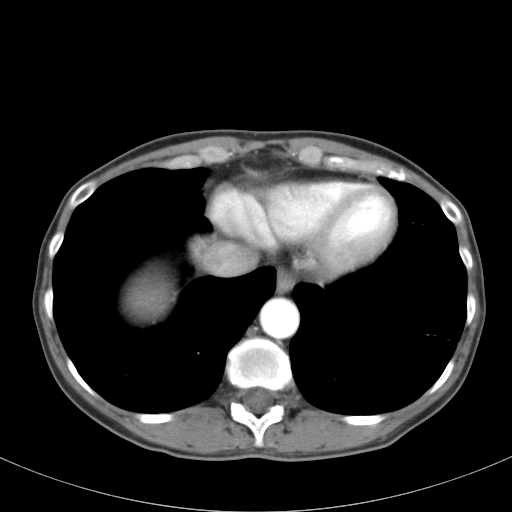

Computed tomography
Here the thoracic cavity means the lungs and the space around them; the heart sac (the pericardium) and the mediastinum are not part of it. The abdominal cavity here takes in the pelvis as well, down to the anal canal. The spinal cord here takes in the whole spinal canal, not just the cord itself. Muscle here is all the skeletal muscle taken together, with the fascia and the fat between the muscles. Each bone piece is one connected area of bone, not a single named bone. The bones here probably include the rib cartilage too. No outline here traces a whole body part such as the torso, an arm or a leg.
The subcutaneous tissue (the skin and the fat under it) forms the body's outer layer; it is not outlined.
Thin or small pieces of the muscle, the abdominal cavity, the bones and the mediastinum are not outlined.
{"thoracic_cavity":[[[199,166],[212,230],[188,235],[174,259],[154,255],[134,267],[119,286],[117,313],[132,328],[165,322],[184,288],[183,262],[185,285],[271,267],[274,290],[206,399],[171,412],[128,410],[86,382],[62,343],[54,258],[75,208],[102,184],[143,167]],[[380,176],[419,188],[438,203],[453,224],[458,253],[466,270],[465,321],[443,370],[416,399],[383,413],[336,413],[310,403],[296,386],[289,348],[300,326],[301,314],[294,288],[305,283],[324,290],[327,285],[371,265],[389,247],[398,232],[399,210]]],"mediastinum":[[[213,228],[222,237],[241,242],[270,262],[281,264],[298,280],[319,285],[300,282],[293,288],[300,321],[289,343],[288,353],[267,337],[253,336],[240,340],[273,294],[276,272],[271,266],[257,267],[237,276],[217,276],[209,272],[201,262],[212,240]],[[244,156],[245,159],[247,160],[247,164],[220,177],[211,185],[206,196],[205,207],[205,200],[201,190],[201,187],[205,181],[208,172],[203,166],[200,166],[201,165],[209,165],[216,163],[219,164],[226,162],[229,160],[233,160]]],"spinal_cord":[[[254,387],[262,387],[268,390],[274,391],[276,393],[276,398],[273,404],[269,406],[267,410],[265,412],[261,414],[256,414],[252,412],[250,410],[249,410],[245,406],[241,398],[241,395],[240,394],[242,390],[244,389],[248,389],[249,388],[253,388]]],"pericardium":[[[275,166],[300,166],[352,172],[375,178],[393,196],[397,206],[398,228],[393,240],[371,264],[331,283],[320,285],[313,281],[300,280],[281,263],[270,261],[263,254],[241,241],[222,236],[205,215],[207,196],[212,185],[220,178],[241,168],[263,169]]],"muscle":[[[462,213],[476,263],[480,307],[466,361],[457,379],[438,399],[383,439],[307,453],[262,448],[197,453],[172,448],[132,433],[86,401],[64,378],[48,347],[38,297],[49,241],[52,285],[43,294],[44,311],[55,323],[69,372],[90,395],[135,412],[134,417],[141,423],[162,424],[175,418],[172,412],[206,400],[224,380],[237,391],[237,399],[229,402],[230,417],[250,430],[253,445],[258,448],[264,446],[267,428],[283,418],[285,408],[280,394],[295,385],[310,404],[341,414],[339,419],[348,425],[376,425],[387,417],[384,413],[402,408],[424,393],[434,393],[454,368],[452,356],[457,343],[476,311],[476,298],[467,291],[472,255],[458,243],[454,225],[462,221]],[[212,136],[232,136],[246,140],[317,137],[341,142],[403,165],[446,194],[452,201],[444,197],[436,201],[414,185],[412,175],[401,166],[395,167],[377,159],[324,155],[319,147],[312,144],[298,151],[297,160],[292,157],[277,156],[267,148],[260,148],[243,156],[229,159],[234,154],[232,150],[221,145],[209,144],[201,147],[197,153],[185,153],[147,162],[142,167],[124,172],[99,185],[92,178],[126,160],[169,145]],[[68,199],[68,205],[69,207],[71,209],[74,209],[68,220],[68,222],[65,228],[65,230],[64,231],[63,230],[57,230],[55,232],[54,232],[56,229],[56,227],[57,226],[59,218],[61,215],[61,213],[63,210],[63,208],[66,202],[68,200]]],"bones":[{"outer":[[253,337],[267,338],[280,346],[288,354],[295,384],[287,387],[279,394],[279,402],[283,405],[284,412],[280,421],[272,423],[264,431],[262,447],[254,445],[254,436],[246,425],[232,419],[230,402],[238,399],[238,391],[224,379],[228,352],[238,342]],"hole":[[254,387],[262,387],[268,390],[274,391],[276,393],[276,398],[273,404],[269,406],[267,410],[265,412],[261,414],[256,414],[252,412],[250,410],[249,410],[245,406],[241,398],[241,395],[240,394],[242,390],[244,389],[248,389],[249,388],[253,388]]},[[309,145],[319,148],[322,151],[324,156],[334,155],[355,159],[377,160],[387,163],[395,168],[401,167],[411,175],[412,181],[411,183],[405,181],[399,181],[372,172],[329,169],[326,168],[322,163],[317,166],[307,165],[298,160],[298,153],[302,148]],[[209,145],[221,146],[227,150],[233,152],[233,154],[228,160],[223,162],[219,163],[216,162],[209,164],[206,164],[203,162],[198,166],[189,168],[176,168],[175,169],[143,166],[147,163],[156,160],[171,158],[185,154],[197,154],[201,148]],[[90,179],[93,179],[95,180],[98,186],[95,189],[95,190],[85,200],[84,200],[81,203],[77,205],[74,208],[71,208],[69,205],[69,199],[70,198],[70,196],[72,194],[72,193],[80,185],[81,185],[83,183],[86,182]],[[374,414],[385,414],[386,415],[386,417],[382,421],[381,421],[380,422],[379,422],[376,424],[369,424],[368,425],[353,425],[352,424],[348,424],[347,423],[346,423],[344,421],[341,420],[340,419],[340,417],[339,416],[340,415],[373,415]],[[443,198],[445,199],[447,199],[448,200],[450,200],[452,202],[453,202],[459,209],[461,213],[461,215],[462,216],[462,219],[459,223],[457,224],[454,224],[446,216],[446,215],[442,210],[438,202],[441,199]],[[135,413],[147,413],[148,414],[157,414],[158,413],[173,413],[174,414],[174,418],[171,421],[168,421],[167,422],[163,422],[162,423],[144,423],[143,422],[141,422],[138,419],[137,419],[135,417]],[[452,357],[454,358],[454,365],[453,366],[453,368],[450,374],[448,376],[446,380],[443,383],[443,384],[442,384],[434,392],[430,394],[427,394],[425,393],[425,392],[428,389],[429,389],[437,380],[437,379],[440,376],[440,375],[444,370],[448,362]],[[67,356],[69,357],[69,358],[73,363],[75,368],[77,370],[78,373],[81,376],[81,377],[85,381],[85,382],[95,392],[96,392],[99,395],[99,396],[96,397],[90,394],[75,379],[73,375],[70,372],[67,366],[67,364],[66,363],[66,357]]],"abdominal_cavity":[[[195,232],[213,232],[200,264],[214,275],[199,277],[185,284],[192,274],[192,268],[181,262],[178,269],[183,288],[169,317],[162,323],[147,328],[129,326],[117,310],[118,293],[126,276],[148,258],[168,256],[174,260],[183,253],[186,238]],[[260,149],[267,149],[269,150],[272,154],[276,156],[275,156],[273,158],[273,165],[274,166],[271,166],[270,167],[264,167],[263,168],[243,167],[248,164],[248,160],[246,159],[246,157],[245,156],[250,152],[253,152],[254,151],[255,152]]]}